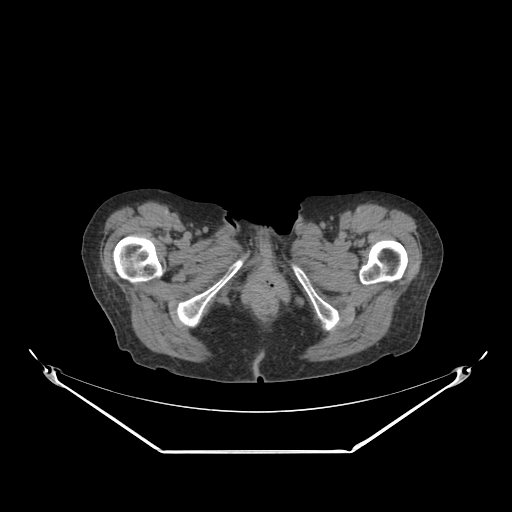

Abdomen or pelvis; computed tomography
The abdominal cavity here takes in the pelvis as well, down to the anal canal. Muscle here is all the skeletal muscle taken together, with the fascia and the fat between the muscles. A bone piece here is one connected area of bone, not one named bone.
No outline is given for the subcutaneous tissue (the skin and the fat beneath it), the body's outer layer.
{"bones":[[[132,234],[138,236],[143,236],[146,238],[148,238],[151,240],[154,244],[157,257],[163,269],[163,274],[160,277],[156,277],[147,281],[131,283],[127,280],[122,279],[117,274],[113,262],[113,250],[114,247],[120,239],[127,235],[131,235]],[[383,239],[393,239],[402,244],[406,250],[407,256],[408,257],[408,263],[406,269],[402,277],[400,279],[395,280],[392,282],[379,282],[378,283],[373,283],[372,284],[363,284],[359,279],[359,270],[361,266],[367,262],[368,254],[371,246],[377,241]],[[243,258],[244,258],[244,262],[242,266],[207,303],[203,310],[202,315],[198,323],[194,327],[189,327],[183,324],[179,320],[176,312],[176,308],[178,303],[181,301],[186,300],[199,293],[201,293],[209,288],[227,271],[230,265],[238,259],[242,259]],[[291,264],[294,264],[301,268],[308,277],[315,291],[325,301],[329,303],[338,311],[340,319],[338,323],[332,329],[330,330],[326,330],[323,328],[323,324],[319,319],[309,296],[305,291],[302,285],[299,282],[299,281],[295,276],[291,268]]],"muscle":[{"outer":[[141,199],[166,204],[213,226],[229,227],[246,242],[254,260],[286,259],[294,231],[302,222],[362,203],[386,204],[419,224],[425,252],[418,274],[397,303],[388,332],[377,344],[332,360],[299,359],[298,355],[320,335],[310,308],[288,305],[274,320],[261,321],[245,307],[239,293],[229,302],[217,303],[195,329],[215,355],[205,362],[193,362],[154,352],[139,340],[131,327],[125,297],[99,262],[106,219],[113,211]],"holes":[[[132,234],[138,236],[143,236],[146,238],[148,238],[151,240],[154,244],[157,257],[163,269],[163,274],[160,277],[156,277],[147,281],[131,283],[127,280],[122,279],[117,274],[113,262],[113,250],[114,247],[120,239],[127,235],[131,235]],[[383,239],[393,239],[402,244],[406,250],[407,256],[408,257],[408,263],[406,269],[402,277],[400,279],[395,280],[392,282],[379,282],[378,283],[373,283],[372,284],[363,284],[359,279],[359,270],[361,266],[367,262],[368,254],[371,246],[377,241]],[[243,258],[244,258],[244,262],[242,266],[207,303],[203,310],[202,315],[198,323],[194,327],[189,327],[183,324],[179,320],[176,312],[176,308],[178,303],[181,301],[186,300],[199,293],[201,293],[209,288],[227,271],[230,265],[238,259],[242,259]],[[291,264],[294,264],[301,268],[308,277],[315,291],[325,301],[329,303],[338,311],[340,319],[338,323],[332,329],[330,330],[326,330],[323,328],[323,324],[319,319],[309,296],[305,291],[302,285],[299,282],[299,281],[295,276],[291,268]],[[265,281],[268,281],[274,285],[276,289],[276,294],[278,298],[278,302],[276,305],[276,311],[275,313],[274,313],[273,315],[272,315],[271,317],[268,319],[262,318],[258,314],[257,314],[256,308],[254,304],[254,300],[255,299],[256,290],[259,284]]]}],"abdominal_cavity":[[[265,281],[268,281],[274,285],[276,289],[276,294],[278,298],[278,302],[276,305],[276,311],[275,313],[274,313],[273,315],[272,315],[271,317],[268,319],[262,318],[258,314],[257,314],[256,308],[254,304],[254,300],[255,299],[256,290],[259,284]]],"torso":[[[136,188],[214,202],[227,210],[229,222],[246,218],[280,233],[291,229],[300,201],[310,195],[381,190],[413,201],[436,226],[444,249],[418,342],[403,355],[351,371],[273,383],[261,377],[222,383],[136,364],[118,348],[81,259],[83,232],[96,208]]]}